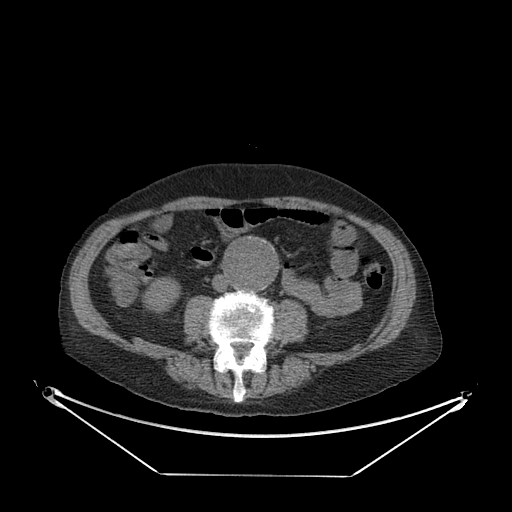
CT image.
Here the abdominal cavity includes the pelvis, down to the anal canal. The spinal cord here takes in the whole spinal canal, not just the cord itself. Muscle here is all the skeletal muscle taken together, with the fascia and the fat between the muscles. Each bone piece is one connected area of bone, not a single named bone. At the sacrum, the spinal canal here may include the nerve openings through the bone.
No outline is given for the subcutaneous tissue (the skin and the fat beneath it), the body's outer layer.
{"bones":[{"outer":[[237,290],[253,291],[266,298],[274,309],[274,326],[273,337],[265,346],[265,370],[263,372],[244,371],[242,373],[244,397],[243,400],[234,401],[233,372],[230,369],[220,372],[213,366],[213,356],[217,345],[209,334],[208,320],[213,300],[225,292]],"hole":[[233,343],[251,343],[252,344],[252,345],[251,346],[251,347],[249,349],[249,350],[247,352],[247,353],[246,354],[245,354],[244,355],[243,355],[242,356],[237,356],[236,355],[236,352],[235,351],[235,349],[232,346],[232,344]]}],"spinal_cord":[[[233,343],[251,343],[252,344],[252,345],[251,346],[251,347],[249,349],[249,350],[247,352],[247,353],[246,354],[245,354],[244,355],[243,355],[242,356],[237,356],[236,355],[236,352],[235,351],[235,349],[232,346],[232,344]]],"torso":[[[210,162],[305,166],[340,179],[383,207],[415,245],[428,271],[435,315],[442,333],[439,358],[397,385],[335,408],[296,416],[233,417],[183,410],[146,399],[66,355],[59,345],[57,326],[59,280],[68,252],[81,232],[112,203],[132,191],[180,169]]],"muscle":[[[188,196],[298,196],[339,206],[386,227],[404,245],[415,274],[416,298],[406,325],[388,344],[329,366],[296,391],[244,400],[243,373],[263,373],[267,368],[266,346],[274,337],[275,326],[272,302],[294,300],[307,314],[307,334],[301,342],[286,344],[286,350],[340,352],[364,342],[382,321],[394,279],[387,251],[365,227],[347,217],[314,208],[273,206],[258,201],[212,208],[164,209],[125,224],[101,248],[87,281],[93,305],[117,334],[181,351],[188,348],[184,340],[188,300],[198,295],[211,297],[207,328],[216,345],[212,366],[220,373],[232,372],[233,401],[182,387],[151,357],[125,350],[87,331],[73,312],[68,288],[72,263],[87,238],[105,221]]],"abdominal_cavity":[[[258,202],[347,218],[386,251],[391,291],[381,321],[364,341],[340,351],[290,351],[284,347],[301,343],[309,332],[306,309],[290,298],[271,304],[253,290],[191,296],[183,311],[184,350],[125,338],[97,310],[90,270],[118,229],[164,210]]]}